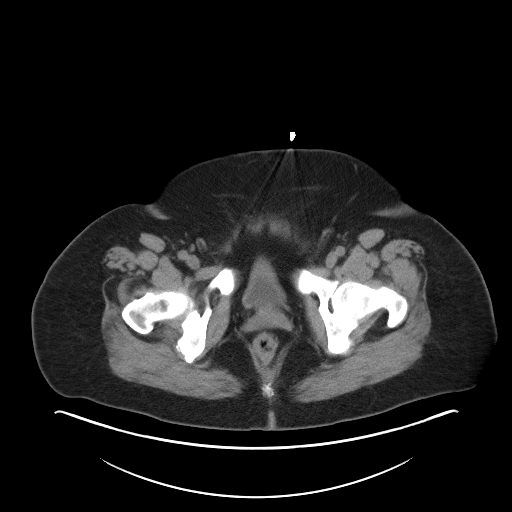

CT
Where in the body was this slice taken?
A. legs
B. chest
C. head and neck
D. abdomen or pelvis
Answer: D. abdomen or pelvis
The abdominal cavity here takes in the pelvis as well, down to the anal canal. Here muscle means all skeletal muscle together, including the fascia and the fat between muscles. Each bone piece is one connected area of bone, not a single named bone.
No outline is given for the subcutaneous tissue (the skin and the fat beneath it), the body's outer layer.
{"muscle":[{"outer":[[268,214],[295,227],[328,267],[335,266],[357,235],[369,228],[393,229],[418,242],[424,249],[431,317],[421,357],[397,375],[310,402],[293,401],[288,395],[293,380],[319,361],[304,339],[289,349],[276,380],[279,396],[271,402],[260,393],[249,351],[234,335],[213,359],[247,382],[236,397],[201,399],[114,375],[101,333],[106,277],[101,261],[106,250],[128,235],[158,233],[172,242],[183,262],[208,265],[238,223]],"holes":[[[265,231],[295,246],[302,266],[315,274],[393,289],[407,300],[405,318],[389,328],[380,308],[350,333],[347,354],[333,354],[318,297],[301,294],[299,332],[282,345],[271,370],[262,367],[234,323],[232,297],[206,287],[232,266],[228,257],[242,237]],[[162,290],[187,292],[200,313],[204,309],[205,298],[208,298],[211,315],[206,329],[205,347],[192,363],[186,362],[183,355],[175,348],[182,334],[181,317],[156,321],[149,333],[140,334],[133,330],[121,316],[121,311],[128,302],[142,296],[147,291]],[[269,382],[271,384],[271,387],[273,389],[273,392],[274,393],[272,396],[270,396],[269,397],[268,397],[265,395],[263,395],[263,394],[262,393],[262,390],[261,389],[261,388],[262,387],[262,386],[264,384],[265,384],[266,383],[268,383]]]}],"torso":[[[289,147],[333,149],[367,162],[391,181],[408,203],[437,219],[465,245],[484,277],[497,327],[496,341],[475,385],[364,418],[268,431],[174,424],[55,392],[37,365],[30,316],[37,289],[63,248],[110,209],[152,201],[171,177],[193,164],[234,152]]],"bones":[[[301,267],[340,282],[353,280],[374,288],[385,285],[406,298],[408,309],[405,318],[389,328],[386,324],[388,313],[380,308],[364,317],[350,333],[354,344],[347,354],[330,353],[324,322],[318,311],[318,297],[314,293],[299,293],[292,281],[294,271]],[[162,290],[187,292],[200,313],[204,309],[205,298],[208,298],[211,315],[206,329],[205,347],[192,363],[186,362],[183,355],[175,348],[182,334],[181,317],[156,321],[149,333],[140,334],[133,330],[121,316],[121,311],[128,302],[142,296],[147,291]],[[226,266],[232,267],[237,270],[237,286],[235,290],[233,292],[233,293],[231,295],[222,295],[220,294],[219,290],[216,288],[210,291],[208,291],[206,289],[206,287],[208,283],[210,281],[210,280],[212,278],[213,278],[220,270],[221,270]],[[269,382],[271,384],[271,387],[273,389],[273,392],[274,393],[272,396],[270,396],[269,397],[268,397],[265,395],[263,395],[263,394],[262,393],[262,390],[261,389],[261,388],[262,387],[262,386],[264,384],[265,384],[266,383],[268,383]]],"abdominal_cavity":[[[265,231],[270,236],[295,246],[296,253],[303,257],[302,266],[297,267],[291,275],[293,286],[301,296],[299,332],[282,345],[271,370],[262,367],[247,339],[238,332],[234,323],[231,296],[238,286],[238,270],[228,263],[228,257],[242,237],[261,235]]]}